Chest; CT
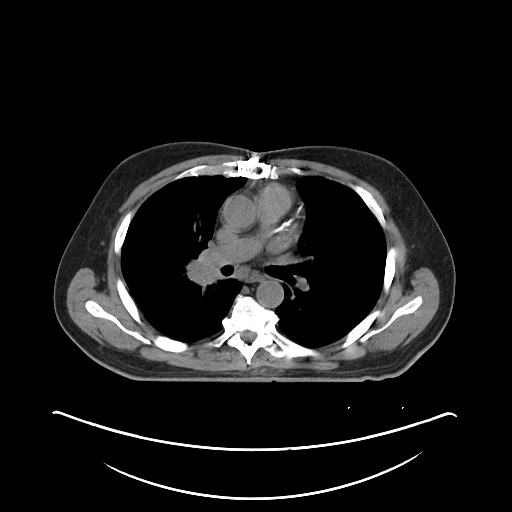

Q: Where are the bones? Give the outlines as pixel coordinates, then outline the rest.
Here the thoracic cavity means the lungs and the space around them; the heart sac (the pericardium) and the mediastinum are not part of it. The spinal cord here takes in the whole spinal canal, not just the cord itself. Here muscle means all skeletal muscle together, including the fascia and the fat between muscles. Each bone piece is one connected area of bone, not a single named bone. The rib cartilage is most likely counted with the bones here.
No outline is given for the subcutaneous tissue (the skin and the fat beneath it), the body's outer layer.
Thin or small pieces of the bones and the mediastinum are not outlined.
A: bones 1: 239,293 252,297 264,308 274,311 279,319 276,328 281,334 320,354 316,357 294,357 288,362 260,347 253,354 250,364 247,364 245,357 226,343 217,348 206,346 205,343 223,331 222,320 230,313, around a hole outlined by 245,330 248,330 249,331 251,331 252,332 254,332 256,334 256,336 255,337 255,338 251,342 250,342 249,343 248,343 247,342 246,342 245,341 244,341 241,338 241,333 243,331 244,331
bones 2: 250,157 257,157 263,162 280,168 297,167 307,171 308,174 306,175 282,174 275,179 253,179 244,176 229,176 227,174 205,174 187,176 172,180 176,175 197,165 216,165 225,161 234,161 239,159 244,160
bones 3: 419,295 422,298 422,302 413,312 398,316 386,328 371,335 364,342 361,342 357,339 347,348 339,347 342,342 341,339 373,309 380,309 383,311 383,314 375,319 369,329 371,330 379,328 387,322 396,309
bones 4: 87,300 96,302 104,310 113,315 125,328 136,331 145,338 150,339 152,334 160,334 174,340 185,342 188,344 188,348 181,352 174,352 164,350 152,343 144,343 123,331 113,321 91,314 85,307 85,302
bones 5: 350,183 355,184 356,185 359,185 371,193 379,206 382,209 382,212 383,213 383,216 385,219 385,224 386,225 386,228 385,229 383,229 382,228 375,216 372,213 370,209 367,206 361,197 349,186 349,184
bones 6: 118,277 119,277 124,281 125,285 126,286 126,288 129,294 131,296 136,306 138,308 140,312 140,318 143,323 142,325 139,324 132,317 132,316 128,312 128,311 124,306 119,296 119,294 116,287 116,279
bones 7: 132,209 135,209 136,211 132,217 127,228 127,231 125,234 123,244 121,247 121,253 120,254 120,256 119,256 115,253 115,251 114,250 114,241 115,240 115,236 116,235 117,228 120,223 122,216 127,211
bones 8: 392,246 395,247 397,250 397,255 395,259 395,271 394,272 393,278 392,279 391,284 389,287 389,289 388,291 385,293 382,290 382,289 383,288 383,279 384,278 384,273 385,272 385,265 386,264 387,249
muscle: 213,154 241,155 244,159 202,163 181,171 137,209 127,210 116,228 113,250 120,257 123,278 115,279 118,296 139,325 144,324 141,314 159,333 148,338 125,327 92,299 84,302 91,315 109,320 144,344 167,352 181,353 190,343 213,337 204,343 206,347 217,349 226,344 250,365 260,348 288,363 299,357 316,358 321,354 316,348 339,340 338,347 347,349 357,340 364,343 398,317 413,313 423,302 419,294 396,308 382,325 370,329 384,314 374,307 382,291 386,294 390,289 398,255 395,246 387,248 383,230 387,228 386,219 372,193 359,184 350,182 347,186 297,166 271,164 268,160 279,158 334,166 380,192 407,248 405,278 427,267 438,282 439,305 425,328 395,350 341,363 333,369 275,368 256,373 175,366 103,345 85,333 68,313 67,288 83,267 92,269 98,277 104,276 110,235 120,206 152,175 184,160
spinal cord: 245,330 248,330 249,331 251,331 252,332 254,332 256,334 256,336 255,337 255,338 251,342 250,342 249,343 248,343 247,342 246,342 245,341 244,341 241,338 241,333 243,331 244,331
thoracic cavity 1: 205,175 246,178 241,186 225,197 218,208 210,239 222,259 233,267 234,278 241,283 241,288 233,299 229,313 221,320 222,331 214,337 188,343 161,334 144,317 124,280 121,254 133,217 152,194 172,181
thoracic cavity 2: 307,175 320,176 353,190 378,222 383,231 386,245 382,288 373,308 343,337 315,348 304,346 281,333 277,328 280,319 275,312 276,308 284,300 283,268 297,252 298,243 306,224 305,203 297,183 302,177
mediastinum 1: 297,244 298,246 296,252 287,264 282,268 281,283 283,289 283,300 274,310 264,307 252,296 240,293 242,288 242,283 235,278 234,267 223,259 223,258 233,264 246,262 278,262 287,259 292,254 292,252
mediastinum 2: 282,175 296,175 297,176 303,176 302,176 297,181 296,183 296,187 303,201 300,198 296,189 292,185 290,185 285,182 282,182 278,180 272,180 275,180
pericardium: 263,180 278,181 292,186 295,189 299,198 303,202 304,207 305,218 303,231 298,242 295,247 293,248 291,254 285,259 278,261 246,261 233,263 224,258 215,246 213,237 219,209 229,196 247,183
torso: 187,140 223,143 254,152 302,145 340,145 373,152 392,161 422,196 454,261 453,307 436,341 403,373 379,381 361,382 138,381 115,373 86,355 62,329 54,311 53,287 62,254 102,182 120,161 154,145